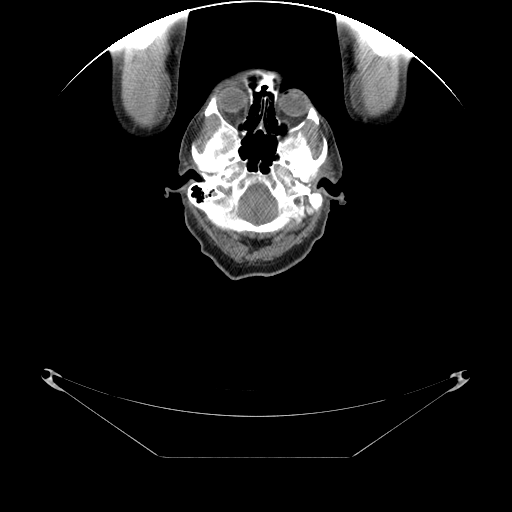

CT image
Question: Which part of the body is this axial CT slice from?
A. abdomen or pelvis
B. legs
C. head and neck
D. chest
Answer: C. head and neck
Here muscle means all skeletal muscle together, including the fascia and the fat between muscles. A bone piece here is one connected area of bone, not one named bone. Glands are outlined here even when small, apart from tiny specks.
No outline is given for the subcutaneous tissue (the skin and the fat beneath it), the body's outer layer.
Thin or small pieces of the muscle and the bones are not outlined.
{"parotid_glands":[[[330,162],[331,162],[331,163],[332,164],[332,173],[325,173],[325,169],[326,168],[326,166]]],"bones":[{"outer":[[255,69],[279,76],[278,99],[266,110],[270,131],[285,134],[312,105],[319,125],[307,120],[302,133],[314,158],[322,135],[327,140],[311,182],[321,206],[275,232],[221,229],[186,194],[201,179],[191,143],[201,151],[220,124],[204,113],[214,93],[221,115],[247,131],[239,154],[248,168],[260,161],[267,172],[276,158],[276,136],[252,131],[266,87],[253,93],[250,107],[241,78],[246,74],[253,88]],"hole":[[256,184],[261,184],[265,186],[271,196],[273,197],[276,202],[276,215],[270,220],[263,222],[262,223],[253,223],[251,221],[249,221],[243,218],[238,214],[238,210],[239,209],[239,202],[240,201],[240,199],[246,192],[246,191],[251,186],[255,185]]},[[356,20],[364,24],[366,24],[378,30],[380,32],[385,34],[387,36],[390,37],[394,40],[394,45],[395,46],[391,54],[389,56],[389,57],[380,57],[378,55],[372,52],[370,48],[367,45]],[[166,16],[168,16],[166,19],[166,21],[163,26],[163,28],[161,32],[150,44],[140,49],[139,48],[136,48],[129,44],[128,36],[127,35],[128,34],[134,31],[136,29],[148,23],[153,22],[156,20],[158,20]]],"left_arm":[[[340,15],[349,17],[354,20],[357,20],[378,30],[407,48],[414,55],[411,58],[408,66],[407,95],[405,105],[398,119],[393,124],[387,127],[384,128],[367,127],[353,121],[349,117],[346,111],[343,99],[341,58],[336,33],[336,18],[337,16]]],"head":[{"outer":[[259,66],[284,73],[279,90],[302,88],[328,121],[342,175],[317,185],[332,195],[343,191],[346,203],[330,201],[324,233],[301,261],[274,275],[233,280],[201,252],[180,195],[164,193],[166,186],[201,179],[192,169],[178,174],[178,152],[212,86]],"holes":[[[264,86],[265,93],[257,100],[259,119],[251,131],[254,134],[261,130],[266,135],[275,136],[275,158],[267,171],[262,171],[260,160],[255,169],[250,169],[249,160],[240,154],[242,140],[248,132],[242,129],[242,126],[254,103],[254,93],[260,92]],[[272,104],[273,108],[274,109],[274,117],[276,120],[276,124],[278,126],[280,126],[281,125],[283,126],[285,129],[285,133],[283,134],[274,133],[268,128],[269,127],[269,124],[267,122],[266,123],[266,118],[268,116],[267,110],[268,108]]]}],"brain":[[[256,184],[261,184],[265,186],[271,196],[273,197],[276,202],[276,215],[270,220],[263,222],[262,223],[253,223],[251,221],[249,221],[243,218],[238,214],[238,210],[239,209],[239,202],[240,201],[240,199],[246,192],[246,191],[251,186],[255,185]]],"right_arm":[[[178,12],[187,12],[187,28],[180,60],[179,79],[178,80],[178,97],[175,114],[167,128],[161,133],[147,138],[133,137],[122,130],[116,120],[112,109],[111,97],[110,96],[111,62],[110,61],[110,50],[109,48],[116,41],[136,29],[148,23]]],"muscle":[[[178,12],[183,12],[183,15],[179,30],[173,42],[173,52],[167,66],[171,81],[169,106],[165,117],[158,125],[151,129],[141,128],[136,126],[125,114],[121,105],[120,69],[116,41],[126,35],[128,44],[140,50],[150,45],[162,32],[169,15]],[[340,15],[355,20],[366,45],[372,53],[380,58],[390,57],[396,46],[395,40],[406,48],[405,65],[399,79],[396,102],[389,111],[380,116],[373,118],[364,117],[355,112],[351,105],[349,85],[352,65],[350,53],[344,45],[344,34],[341,28]],[[323,196],[325,201],[317,225],[302,243],[263,265],[247,266],[234,263],[209,241],[207,235],[198,226],[187,204],[187,199],[202,211],[213,225],[221,230],[262,234],[275,233],[286,227],[290,228],[294,224],[299,224],[306,216],[313,214],[322,206]],[[202,111],[206,118],[212,115],[215,115],[219,121],[219,124],[204,143],[201,150],[199,150],[197,147],[197,143],[194,140],[190,143],[190,154],[197,168],[196,169],[189,163],[186,163],[186,158],[188,145],[190,143],[192,134],[194,131],[194,127]],[[320,118],[326,127],[327,130],[327,139],[323,134],[321,135],[321,141],[322,142],[321,150],[319,154],[316,157],[314,157],[313,156],[312,150],[308,143],[307,138],[303,133],[302,129],[306,124],[307,121],[311,121],[315,126],[318,127],[320,125]],[[328,140],[330,151],[332,154],[332,163],[332,162],[330,161],[325,166],[325,168],[324,169],[324,173],[320,175],[317,178],[314,183],[314,187],[312,188],[312,182],[318,175],[318,172],[319,171],[320,167],[325,162],[327,158],[327,156],[328,155]]]}